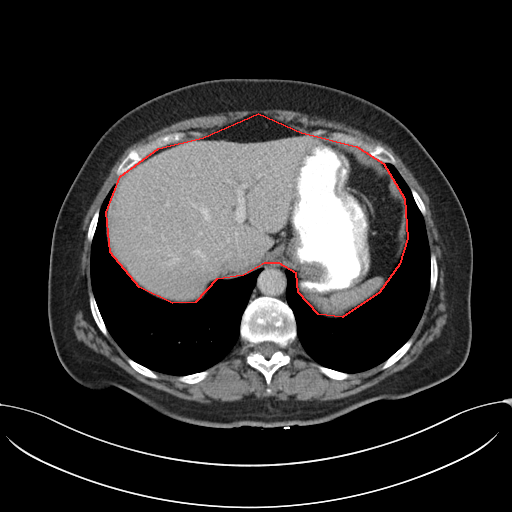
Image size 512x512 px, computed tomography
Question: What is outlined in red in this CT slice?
Answer: red: abdominal cavity.
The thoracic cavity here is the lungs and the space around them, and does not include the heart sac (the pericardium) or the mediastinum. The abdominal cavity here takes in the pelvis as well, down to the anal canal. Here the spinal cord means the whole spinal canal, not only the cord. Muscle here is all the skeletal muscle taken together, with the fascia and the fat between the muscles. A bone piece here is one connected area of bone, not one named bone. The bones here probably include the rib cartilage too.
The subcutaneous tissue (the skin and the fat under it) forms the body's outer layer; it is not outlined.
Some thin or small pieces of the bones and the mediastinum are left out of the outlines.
Outlines:
abdominal cavity: 258 113; 301 132; 356 146; 383 163; 404 198; 407 238; 399 264; 379 292; 342 317; 318 314; 298 292; 296 273; 279 263; 264 263; 243 275; 216 279; 195 302; 172 303; 139 287; 110 252; 106 212; 120 176; 158 148; 203 137
thoracic cavity 1: 112 187; 105 212; 104 232; 107 247; 113 260; 131 280; 154 298; 172 304; 195 303; 206 296; 216 280; 229 280; 261 269; 241 315; 239 339; 223 359; 207 369; 183 375; 154 371; 129 357; 109 333; 93 293; 90 261; 100 209
thoracic cavity 2: 384 163; 395 167; 423 217; 430 253; 429 290; 422 314; 409 338; 383 362; 349 373; 319 364; 303 348; 297 337; 293 310; 287 302; 286 269; 295 273; 299 295; 318 315; 327 319; 342 318; 383 289; 400 264; 408 238; 406 201
spinal cord: 265 341; 269 341; 270 342; 273 342; 277 344; 279 346; 279 349; 275 351; 270 356; 270 357; 268 358; 266 358; 261 353; 254 350; 254 346; 255 344; 257 344; 261 342; 264 342
bones 1: 260 296; 277 298; 287 303; 292 310; 296 325; 296 338; 285 350; 290 357; 290 361; 279 367; 272 375; 269 385; 271 389; 270 394; 266 392; 268 386; 264 376; 246 362; 246 357; 250 349; 248 344; 240 338; 242 315; 248 303; inner edge: 265 341; 269 341; 270 342; 273 342; 277 344; 279 346; 279 349; 275 351; 270 356; 270 357; 268 358; 266 358; 261 353; 254 350; 254 346; 255 344; 257 344; 261 342; 264 342
bones 2: 176 132; 184 132; 186 134; 182 139; 177 142; 170 143; 167 145; 164 145; 161 147; 158 147; 154 149; 121 175; 116 174; 116 171; 120 163; 131 150; 135 149; 142 145; 144 145; 160 136; 162 136; 165 134; 175 133
bones 3: 332 132; 341 132; 361 139; 371 145; 380 145; 382 146; 391 153; 395 159; 395 164; 394 165; 388 162; 380 161; 371 156; 367 152; 364 151; 356 145; 348 144; 347 143; 346 144; 345 143; 340 143; 330 140; 328 138; 328 136
bones 4: 90 292; 92 292; 94 296; 94 298; 95 299; 97 307; 99 310; 99 312; 101 315; 101 317; 104 322; 104 324; 108 332; 108 335; 107 336; 105 336; 101 332; 93 318; 93 316; 90 309; 90 305; 89 304; 89 293
bones 5: 410 338; 412 338; 413 339; 413 341; 412 342; 410 347; 408 349; 408 350; 396 362; 395 362; 392 365; 389 366; 387 368; 385 368; 384 369; 382 369; 381 368; 381 367; 382 366; 383 363; 390 356; 391 356; 398 349; 399 349
bones 6: 431 253; 433 253; 435 255; 435 257; 436 258; 436 261; 437 262; 437 281; 436 282; 436 285; 435 286; 435 288; 434 289; 434 290; 430 290; 430 255; 431 254
bones 7: 128 358; 130 358; 134 361; 137 362; 139 364; 152 370; 158 376; 158 378; 157 378; 156 379; 155 379; 154 378; 151 378; 150 377; 145 376; 144 375; 141 374; 139 372; 136 371; 129 364; 129 363; 127 361; 127 359
bones 8: 317 365; 321 365; 324 367; 326 367; 327 368; 329 368; 333 370; 336 370; 337 371; 340 371; 341 372; 348 373; 349 374; 349 376; 347 378; 345 379; 342 379; 341 380; 330 378; 326 376; 322 372; 321 372; 320 370; 317 367
bones 9: 205 370; 208 370; 208 374; 202 380; 201 380; 196 383; 186 383; 185 382; 182 382; 178 379; 178 377; 179 376; 183 376; 184 375; 188 375; 189 374; 192 374; 193 373; 196 373; 197 372; 201 372; 202 371; 204 371
bones 10: 97 209; 99 209; 99 214; 98 215; 98 218; 97 219; 97 223; 96 224; 95 231; 94 232; 94 234; 93 235; 93 238; 92 239; 91 242; 90 242; 87 239; 87 231; 88 230; 88 227; 89 226; 90 221; 91 220; 94 213
bones 11: 411 188; 414 189; 417 192; 417 193; 421 198; 424 204; 424 206; 425 207; 425 210; 426 211; 424 215; 423 215; 421 213; 418 206; 416 204; 416 202; 413 197; 413 195; 410 189
mediastinum: 270 263; 272 264; 279 264; 285 268; 285 275; 286 276; 285 297; 286 298; 286 302; 277 297; 269 296; 268 295; 260 295; 249 301; 252 290; 256 284; 257 277; 262 270; 262 269; 260 268; 260 266; 262 266; 264 264; 269 264
muscle: 254 109; 292 110; 307 114; 311 117; 314 116; 322 117; 328 120; 344 123; 348 126; 360 130; 362 132; 382 141; 387 144; 401 159; 423 188; 429 198; 429 206; 432 218; 438 231; 440 239; 439 244; 442 252; 441 263; 444 268; 445 302; 446 303; 446 311; 448 314; 446 322; 443 326; 439 336; 431 341; 422 350; 414 361; 403 369; 355 394; 338 399; 323 401; 319 401; 315 399; 313 400; 293 400; 292 399; 278 400; 273 397; 268 397; 262 399; 249 399; 248 398; 236 401; 217 400; 208 404; 193 400; 183 399; 141 382; 107 357; 102 354; 97 353; 83 342; 79 341; 73 330; 72 327; 74 321; 74 316; 77 310; 83 306; 84 302; 86 300; 86 284; 84 278; 80 274; 81 254; 83 249; 83 241; 85 237; 85 232; 82 229; 83 221; 89 207; 109 174; 111 168; 118 158; 132 144; 142 138; 144 138; 149 134; 166 126; 169 126; 178 121; 198 116; 215 114; 220 112; 237 111; 238 110; 240 111; 253 110, around a hole outlined by 258 113; 301 132; 312 134; 323 129; 326 132; 319 135; 324 137; 341 132; 380 145; 391 153; 395 168; 424 204; 426 212; 422 216; 429 252; 437 262; 436 285; 428 291; 422 314; 409 337; 413 341; 387 368; 381 368; 382 362; 339 380; 320 371; 319 364; 297 337; 285 350; 289 363; 272 375; 270 394; 266 392; 264 376; 246 362; 250 349; 240 338; 196 383; 182 382; 178 375; 158 371; 154 372; 156 379; 145 376; 129 364; 128 355; 109 333; 105 336; 101 332; 93 318; 89 304; 89 293; 93 291; 92 243; 87 239; 90 221; 120 177; 116 171; 131 150; 169 133; 184 132; 184 139; 203 137; 216 128
torso: 219 78; 295 79; 350 92; 394 115; 427 150; 464 210; 473 249; 471 345; 466 361; 451 377; 322 423; 211 427; 166 416; 116 387; 86 388; 67 373; 49 329; 47 286; 54 224; 71 183; 100 136; 123 114; 164 92